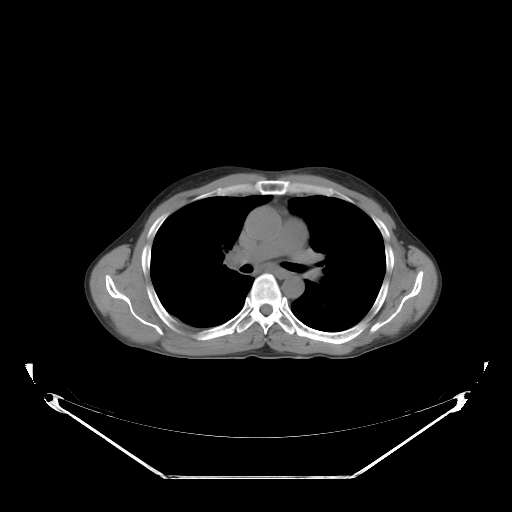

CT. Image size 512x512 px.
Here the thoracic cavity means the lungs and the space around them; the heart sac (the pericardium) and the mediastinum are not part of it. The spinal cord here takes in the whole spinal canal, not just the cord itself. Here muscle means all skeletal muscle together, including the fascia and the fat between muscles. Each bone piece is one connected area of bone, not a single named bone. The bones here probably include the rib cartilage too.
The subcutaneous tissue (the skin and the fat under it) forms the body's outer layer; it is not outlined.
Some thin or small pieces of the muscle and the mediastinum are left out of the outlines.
The mediastinum is outlined by 285,194 307,195 291,198 288,209 306,222 315,253 304,292 290,304 271,273 254,278 243,274 234,248 238,237 241,248 264,261 302,248 307,237 303,221 277,202 253,209 242,229 253,208 268,202 271,195. The thoracic cavity appears in 2 outlined pieces: piece 1: 246,195 270,195 271,197 268,201 253,207 246,214 239,234 233,243 239,259 239,271 243,275 253,278 244,302 237,313 218,325 206,328 188,325 169,313 154,288 150,275 153,240 165,220 189,203 214,196; piece 2: 309,195 335,197 355,205 372,220 383,239 385,273 378,292 363,318 342,330 326,331 311,327 301,321 290,306 305,292 305,281 310,278 309,275 316,261 316,253 310,245 307,222 289,209 289,202 293,198. The torso is outlined by 222,165 260,169 328,166 352,173 375,187 432,252 441,268 442,291 430,316 404,339 349,361 324,361 321,357 312,359 317,361 260,361 255,357 182,361 116,340 87,303 83,280 88,265 165,187 186,175. The bones appear in 9 outlined pieces: piece 1: 264,273 274,277 291,311 301,322 326,332 348,329 369,317 383,281 389,283 376,314 357,336 343,343 316,340 295,332 290,334 276,322 265,334 256,321 242,332 198,340 194,334 218,326 240,311 254,279; inner edge: 264,304 268,304 269,305 270,305 271,306 271,307 272,308 272,310 271,311 271,312 269,314 268,314 267,315 265,315 264,314 263,314 261,312 261,311 260,310 260,307 262,305 263,305; piece 2: 265,179 286,180 290,182 302,182 331,187 352,199 354,201 354,204 335,196 327,196 322,194 308,195 303,193 302,194 285,193 284,194 214,195 189,202 192,198 218,187 225,187 241,183 254,183 258,180; piece 3: 107,274 111,277 116,287 123,294 128,297 132,305 133,310 144,320 157,325 162,330 163,332 162,335 161,335 152,326 145,324 138,320 131,313 128,304 123,299 120,298 114,298 109,294 105,285 105,276; piece 4: 148,285 152,285 153,286 153,288 163,307 168,312 168,313 170,314 177,321 177,323 175,325 175,326 178,329 179,331 178,332 171,329 159,317 159,316 156,313 154,308 152,306 152,304 147,294 146,287; piece 5: 419,271 422,271 423,272 422,282 421,283 421,287 419,292 416,295 408,298 403,303 400,311 390,321 382,325 375,331 370,332 370,328 372,325 377,322 380,322 385,320 396,310 402,298 411,291 417,273; piece 6: 147,243 150,243 151,244 151,253 150,254 150,266 149,267 149,274 148,274 147,275 145,275 144,274 144,273 143,272 143,270 142,269 142,265 141,264 141,255 142,254 142,250 143,249 144,246; piece 7: 167,212 169,214 168,215 168,216 164,220 164,221 158,228 158,229 157,230 153,239 152,238 148,238 147,237 147,234 148,233 148,231 149,230 151,225 154,222 154,221 159,216 160,216 162,214 164,214; piece 8: 385,244 388,244 391,247 391,248 392,249 392,251 393,252 393,259 394,260 393,261 393,267 392,268 392,269 391,270 391,271 390,272 386,272 386,258 385,257; piece 9: 371,215 374,215 376,217 377,217 379,219 380,219 384,223 384,224 386,226 386,227 387,228 387,229 389,232 389,238 388,239 384,239 383,238 381,232 379,230 378,227 375,224 375,223 371,218. The muscle is outlined by 234,173 261,173 267,178 200,193 171,214 159,215 147,231 152,242 143,246 140,264 152,284 145,290 155,313 171,330 180,331 178,320 202,329 192,336 206,341 242,333 255,322 265,335 276,323 290,335 339,345 357,337 377,314 389,289 390,282 384,277 395,260 392,247 384,243 390,238 385,223 374,214 370,217 352,198 331,186 278,179 281,174 324,177 377,202 394,221 396,237 420,249 434,264 437,287 427,309 396,335 383,336 345,354 280,352 265,344 233,353 187,355 120,334 92,298 89,280 94,266 115,247 134,245 150,214 165,200 with holes at 107,274 111,277 116,287 123,294 128,297 132,305 133,310 144,320 157,325 162,330 163,332 162,335 161,335 152,326 145,324 138,320 131,313 128,304 123,299 120,298 114,298 109,294 105,285 105,276 and at 419,271 422,271 423,272 422,282 421,283 421,287 419,292 416,295 408,298 403,303 400,311 390,321 382,325 375,331 370,332 370,328 372,325 377,322 380,322 385,320 396,310 402,298 411,291 417,273. The pericardium is outlined by 272,203 277,203 291,215 300,219 305,227 306,237 303,245 297,252 289,255 279,255 275,257 271,257 267,260 264,260 259,257 256,257 252,255 248,251 241,247 238,244 238,240 250,213 253,210 259,207. The spinal cord is outlined by 264,304 268,304 269,305 270,305 271,306 271,307 272,308 272,310 271,311 271,312 269,314 268,314 267,315 265,315 264,314 263,314 261,312 261,311 260,310 260,307 262,305 263,305.